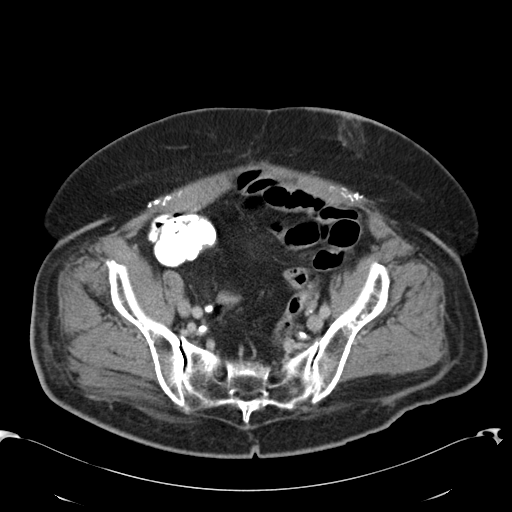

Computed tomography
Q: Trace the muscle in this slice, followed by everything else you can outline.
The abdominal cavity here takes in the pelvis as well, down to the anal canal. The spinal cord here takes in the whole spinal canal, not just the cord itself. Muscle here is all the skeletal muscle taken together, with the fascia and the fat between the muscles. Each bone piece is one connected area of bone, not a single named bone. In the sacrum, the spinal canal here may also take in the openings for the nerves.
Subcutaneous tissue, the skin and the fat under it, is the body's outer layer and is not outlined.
A: The muscle is outlined by 251 159; 267 160; 344 186; 373 201; 381 212; 395 222; 402 235; 435 263; 443 278; 446 298; 444 329; 448 354; 436 364; 414 373; 392 377; 364 377; 359 383; 358 393; 353 396; 354 399; 341 411; 311 419; 297 417; 279 420; 247 430; 208 418; 193 425; 159 421; 121 402; 96 401; 83 396; 66 375; 57 317; 57 277; 65 261; 82 243; 112 233; 142 211; 154 198; 189 181 with a hole at 252 165; 367 216; 373 245; 331 280; 332 322; 372 262; 390 283; 327 396; 269 404; 245 423; 235 405; 192 398; 185 413; 168 397; 146 339; 111 301; 104 262; 126 266; 140 307; 172 331; 184 282; 134 238; 158 212; 210 204. The spinal cord appears in 3 outlined pieces: piece 1: 276 370; 281 370; 282 371; 283 371; 283 372; 284 373; 284 375; 283 376; 283 377; 280 378; 279 379; 279 380; 278 380; 275 382; 272 382; 271 381; 270 381; 270 380; 269 379; 269 376; 271 373; 272 373; 274 371; 275 371; piece 2: 241 392; 245 392; 246 393; 250 393; 251 392; 254 392; 255 393; 257 393; 257 396; 256 396; 253 398; 251 398; 248 400; 245 400; 244 399; 243 399; 242 398; 241 398; 239 396; 239 395; 238 394; piece 3: 219 368; 223 368; 224 369; 225 369; 225 370; 226 371; 226 372; 225 373; 225 374; 224 375; 224 376; 223 377; 223 378; 222 378; 221 379; 220 379; 219 378; 218 378; 218 377; 216 374; 216 371; 217 370; 217 369; 218 369. The abdominal cavity is outlined by 252 165; 261 165; 284 184; 320 199; 361 209; 373 241; 352 268; 331 280; 331 322; 323 334; 273 371; 259 360; 222 358; 180 337; 173 330; 173 319; 184 282; 173 269; 156 270; 134 242; 154 214; 197 211; 227 192; 238 172. The bones are outlined by 106 259; 126 266; 148 316; 222 359; 269 365; 272 383; 284 377; 284 360; 353 303; 372 262; 387 268; 390 283; 385 307; 356 334; 327 396; 291 410; 269 404; 245 423; 235 405; 192 398; 185 413; 168 397; 146 339; 111 301 with holes at 241 392; 245 392; 246 393; 250 393; 251 392; 254 392; 255 393; 257 393; 257 396; 256 396; 253 398; 251 398; 248 400; 245 400; 244 399; 243 399; 242 398; 241 398; 239 396; 239 395; 238 394 and at 219 368; 223 368; 224 369; 225 369; 225 370; 226 371; 226 372; 225 373; 225 374; 224 375; 224 376; 223 377; 223 378; 222 378; 221 379; 220 379; 219 378; 218 378; 218 377; 216 374; 216 371; 217 370; 217 369; 218 369. The torso is outlined by 286 106; 327 107; 385 124; 430 152; 465 190; 479 221; 478 245; 462 259; 487 345; 479 382; 343 445; 267 458; 202 457; 155 448; 55 404; 38 379; 29 329; 35 276; 54 243; 42 219; 65 178; 116 138; 177 112.